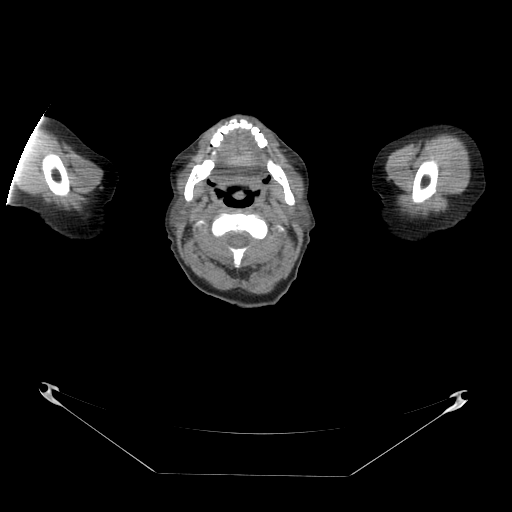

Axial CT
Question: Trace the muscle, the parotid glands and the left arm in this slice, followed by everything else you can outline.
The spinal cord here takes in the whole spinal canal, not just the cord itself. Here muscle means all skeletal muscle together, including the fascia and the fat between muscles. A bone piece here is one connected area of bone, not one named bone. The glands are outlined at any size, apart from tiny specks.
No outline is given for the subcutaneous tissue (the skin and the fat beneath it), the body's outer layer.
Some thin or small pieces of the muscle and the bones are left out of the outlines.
Answer: {"muscle":[{"outer":[[236,116],[255,120],[273,135],[283,152],[294,160],[305,192],[293,210],[295,221],[304,229],[298,257],[287,278],[271,292],[261,295],[218,290],[206,283],[181,258],[174,233],[187,214],[186,202],[193,199],[195,185],[206,179],[215,166],[212,157],[195,163],[185,181],[183,198],[178,198],[176,169],[208,131],[227,120],[209,140],[211,157],[224,135],[236,129],[249,131],[259,148],[268,146],[268,140],[257,125]],"holes":[[[235,212],[245,214],[250,213],[258,214],[266,222],[268,226],[268,232],[266,236],[263,239],[257,241],[245,253],[241,260],[239,267],[235,267],[233,262],[232,254],[227,249],[222,241],[212,234],[210,229],[211,223],[216,216],[221,213],[234,213]],[[268,159],[271,159],[275,163],[278,164],[284,171],[287,177],[290,186],[290,189],[292,191],[292,198],[295,203],[293,205],[289,205],[285,202],[284,199],[284,192],[282,186],[271,176],[270,173],[268,171],[267,169],[267,160]],[[231,188],[235,188],[235,190],[231,193],[231,195],[236,200],[243,199],[246,196],[247,192],[255,194],[253,195],[251,203],[243,207],[235,207],[226,204],[224,201],[224,197],[222,195],[221,196],[218,195],[216,191],[220,190],[226,194]],[[201,219],[202,220],[204,220],[206,222],[206,225],[205,226],[204,225],[202,227],[202,228],[201,229],[199,229],[197,227],[196,227],[194,229],[193,229],[193,227],[194,226],[194,224],[198,220],[200,220]],[[278,224],[279,225],[281,225],[284,228],[284,232],[279,232],[276,229],[274,229],[273,228],[273,227],[274,226],[275,226],[276,225],[277,225]]]},{"outer":[[443,132],[455,133],[464,141],[469,152],[471,164],[471,176],[469,184],[466,190],[461,193],[444,212],[437,214],[432,213],[425,218],[409,217],[402,214],[395,204],[396,188],[386,179],[384,167],[387,157],[394,150],[412,141],[420,138],[432,137]],"hole":[[432,159],[437,163],[437,165],[438,166],[438,176],[437,177],[437,182],[436,183],[435,192],[430,197],[424,201],[420,203],[414,203],[411,199],[411,194],[412,193],[412,187],[413,186],[413,181],[415,177],[415,174],[422,162],[426,160],[431,160]]},{"outer":[[35,127],[39,130],[49,131],[54,135],[62,137],[77,153],[94,162],[103,170],[104,173],[101,183],[92,193],[89,203],[84,206],[84,209],[81,212],[59,209],[53,204],[46,203],[40,197],[19,191],[14,184],[13,177],[17,164],[24,147]],"hole":[[49,152],[52,152],[57,154],[61,159],[66,169],[67,175],[68,176],[68,179],[69,180],[69,192],[64,196],[60,196],[59,195],[56,195],[54,194],[50,190],[45,180],[45,177],[42,171],[41,165],[42,164],[42,160],[44,157],[44,155]]}],"parotid_glands":[[[179,198],[182,198],[186,204],[186,214],[183,218],[183,219],[176,227],[175,230],[174,231],[173,231],[171,229],[171,227],[170,226],[170,224],[169,223],[169,216],[170,215],[170,212],[171,211],[171,209],[172,208],[174,203],[176,201],[176,200]],[[303,200],[307,207],[307,209],[309,212],[309,216],[310,217],[310,223],[308,227],[306,227],[305,228],[302,227],[302,226],[300,225],[300,224],[298,223],[297,221],[296,221],[296,219],[294,217],[294,210],[296,207],[296,205],[297,206]]],"left_arm":[[[438,121],[450,122],[462,127],[476,141],[483,158],[486,186],[483,194],[464,220],[451,228],[440,230],[420,242],[410,243],[394,237],[388,233],[383,226],[379,214],[379,209],[382,203],[378,194],[371,186],[372,165],[378,151],[385,144],[418,126]]],"bones":[{"outer":[[235,212],[245,214],[250,213],[258,214],[266,222],[268,226],[268,232],[266,236],[263,239],[257,241],[245,253],[241,260],[239,267],[235,267],[233,262],[232,254],[227,249],[222,241],[212,234],[210,229],[211,223],[216,216],[221,213],[234,213]],"hole":[[230,231],[234,231],[235,232],[242,232],[243,231],[245,231],[247,232],[253,239],[253,242],[249,245],[246,245],[245,246],[243,246],[242,247],[238,247],[237,248],[230,246],[229,245],[226,245],[226,244],[224,243],[223,237],[226,233]]},[[49,152],[52,152],[57,154],[61,159],[66,169],[67,175],[68,176],[68,179],[69,180],[69,192],[64,196],[60,196],[59,195],[56,195],[54,194],[50,190],[45,180],[45,177],[42,171],[41,165],[42,164],[42,160],[44,157],[44,155]],[[432,159],[437,163],[437,165],[438,166],[438,176],[437,177],[437,182],[436,183],[435,192],[430,197],[424,201],[420,203],[414,203],[411,199],[411,194],[412,193],[412,187],[413,186],[413,181],[415,177],[415,174],[422,162],[426,160],[431,160]],[[233,117],[237,120],[243,118],[257,126],[267,140],[267,146],[262,148],[259,147],[249,130],[236,128],[230,130],[223,135],[223,138],[219,145],[215,148],[215,154],[211,156],[210,148],[211,149],[212,147],[210,144],[210,140],[213,134],[221,125]],[[209,158],[212,158],[214,163],[214,166],[206,178],[200,180],[194,185],[194,187],[193,188],[193,197],[190,201],[186,201],[184,198],[184,188],[185,187],[186,181],[189,176],[189,174],[193,166],[195,164],[199,164],[201,163],[203,160],[208,159]],[[268,159],[271,159],[275,163],[278,164],[284,171],[287,177],[290,186],[290,189],[292,191],[292,198],[295,203],[293,205],[289,205],[285,202],[284,199],[284,192],[282,186],[271,176],[270,173],[268,171],[267,169],[267,160]],[[201,219],[202,220],[204,220],[206,222],[206,225],[205,226],[204,225],[202,227],[202,228],[201,229],[199,229],[197,227],[196,227],[194,229],[193,229],[193,227],[194,226],[194,224],[198,220],[200,220]]],"spinal_cord":[[[230,231],[234,231],[235,232],[242,232],[243,231],[245,231],[247,232],[253,239],[253,242],[249,245],[246,245],[245,246],[243,246],[242,247],[238,247],[237,248],[230,246],[229,245],[226,245],[226,244],[224,243],[223,237],[226,233]]],"head_and_neck":[{"outer":[[234,112],[250,113],[259,118],[300,155],[308,171],[308,199],[316,223],[310,231],[310,240],[295,280],[287,292],[273,305],[242,308],[200,291],[188,280],[174,258],[170,249],[170,241],[164,227],[165,211],[172,197],[169,171],[174,157],[219,118]],"hole":[[231,188],[235,188],[235,190],[231,193],[231,195],[236,200],[243,199],[246,196],[247,192],[255,194],[253,195],[251,203],[243,207],[235,207],[226,204],[224,201],[224,197],[222,195],[221,196],[218,195],[216,191],[220,190],[226,194]]}],"right_arm":[[[44,115],[51,116],[63,122],[85,144],[107,157],[117,169],[119,179],[116,189],[112,199],[105,206],[106,227],[99,235],[91,239],[69,239],[48,227],[35,212],[23,207],[12,206],[6,201],[6,195],[13,181],[15,170],[24,147],[31,133]]]}